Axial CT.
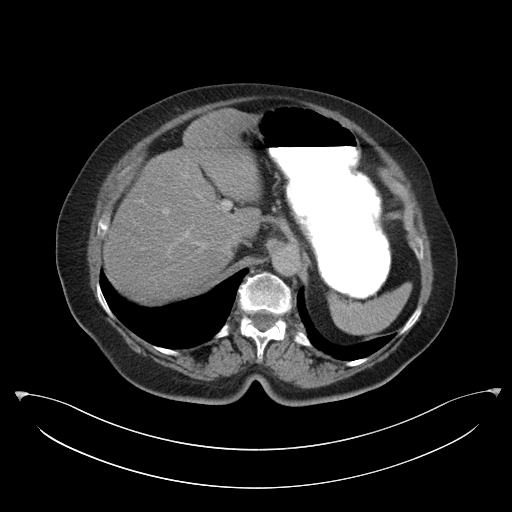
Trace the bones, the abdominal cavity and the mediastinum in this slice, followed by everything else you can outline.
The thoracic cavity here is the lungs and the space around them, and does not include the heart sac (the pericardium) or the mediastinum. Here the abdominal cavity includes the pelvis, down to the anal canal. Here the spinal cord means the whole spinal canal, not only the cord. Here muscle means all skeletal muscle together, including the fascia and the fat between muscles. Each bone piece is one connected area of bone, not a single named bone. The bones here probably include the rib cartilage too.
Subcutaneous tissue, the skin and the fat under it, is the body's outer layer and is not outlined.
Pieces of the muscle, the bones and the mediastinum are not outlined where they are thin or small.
The bones appear in 10 outlined pieces: piece 1: (262, 271) (271, 272) (283, 280) (291, 290) (293, 303) (291, 309) (283, 315) (286, 322) (286, 333) (284, 339) (271, 339) (264, 348) (263, 360) (258, 362) (255, 341) (251, 337) (244, 336) (239, 332) (239, 323) (243, 311) (236, 298) (238, 288) (244, 280) (244, 277), around a hole outlined by (260, 310) (264, 310) (267, 312) (269, 312) (270, 313) (272, 313) (277, 316) (277, 317) (276, 318) (274, 323) (270, 327) (269, 327) (267, 329) (266, 329) (263, 331) (258, 329) (252, 323) (252, 319) (251, 318) (251, 315) (253, 313) (254, 313) (255, 312) (257, 312); piece 2: (393, 179) (398, 181) (401, 184) (402, 184) (407, 192) (408, 199) (412, 209) (412, 220) (413, 221) (413, 226) (412, 227) (412, 229) (410, 231) (408, 231) (405, 228) (405, 226) (404, 225) (404, 205) (399, 194) (397, 192) (396, 189) (394, 188) (392, 184) (392, 180); piece 3: (419, 305) (421, 305) (422, 306) (422, 311) (418, 319) (415, 322) (415, 323) (408, 330) (407, 330) (402, 334) (400, 335) (398, 335) (398, 333) (399, 331) (402, 328) (404, 324) (407, 321) (409, 317) (412, 314) (412, 313) (414, 311) (416, 307); piece 4: (98, 281) (100, 285) (101, 291) (104, 296) (104, 298) (109, 308) (111, 310) (113, 314) (117, 318) (117, 319) (114, 319) (110, 316) (109, 316) (106, 313) (106, 312) (103, 309) (103, 308) (99, 303) (98, 299) (97, 298) (97, 290) (96, 289) (96, 283); piece 5: (415, 236) (419, 236) (422, 239) (422, 242) (423, 243) (423, 258) (420, 261) (419, 261) (417, 259) (417, 258) (416, 257) (416, 255) (415, 254) (415, 253) (414, 252) (414, 251) (411, 246) (411, 244) (410, 243) (411, 242) (411, 241) (414, 238) (414, 237); piece 6: (105, 211) (106, 211) (106, 212) (107, 213) (107, 217) (108, 218) (109, 221) (108, 222) (108, 226) (107, 227) (107, 229) (106, 230) (103, 237) (102, 238) (101, 238) (97, 234) (97, 227) (98, 226) (98, 221) (99, 220) (99, 219) (102, 216) (103, 213); piece 7: (298, 330) (300, 330) (301, 331) (305, 331) (305, 333) (306, 334) (308, 339) (310, 341) (310, 342) (312, 344) (312, 345) (313, 346) (312, 347) (309, 347) (308, 346) (306, 346) (305, 345) (302, 345) (299, 343) (297, 343) (294, 340) (294, 335) (295, 334) (295, 333); piece 8: (226, 322) (228, 322) (228, 323) (230, 326) (230, 328) (229, 329) (229, 334) (228, 335) (226, 335) (225, 336) (223, 336) (222, 337) (220, 337) (219, 338) (215, 338) (214, 337) (215, 334) (216, 333) (217, 333) (219, 331) (219, 330) (224, 325) (224, 324); piece 9: (152, 345) (156, 345) (160, 347) (163, 347) (164, 348) (167, 348) (168, 349) (172, 349) (173, 350) (178, 350) (179, 352) (179, 354) (175, 356) (173, 355) (170, 355) (169, 354) (166, 354) (165, 353) (163, 353) (155, 349); piece 10: (364, 357) (368, 357) (368, 359) (366, 361) (365, 361) (364, 362) (363, 362) (362, 363) (361, 363) (358, 365) (355, 365) (354, 366) (347, 366) (345, 364) (345, 362) (346, 361) (350, 361) (351, 360) (356, 360) (357, 359) (359, 359) (360, 358) (363, 358). The abdominal cavity is outlined by (263, 100) (297, 104) (337, 120) (371, 146) (387, 168) (420, 273) (416, 306) (396, 333) (352, 345) (326, 339) (306, 310) (302, 255) (293, 247) (280, 247) (262, 263) (239, 269) (203, 294) (162, 306) (130, 303) (108, 281) (101, 268) (108, 208) (147, 147) (197, 115). The mediastinum is outlined by (284, 247) (293, 248) (294, 250) (298, 251) (301, 255) (301, 284) (302, 287) (301, 286) (297, 290) (295, 296) (295, 302) (293, 299) (291, 288) (283, 279) (275, 273) (267, 270) (262, 270) (253, 274) (248, 274) (249, 267) (262, 264) (271, 255) (274, 254) (280, 248). The spinal cord is outlined by (260, 310) (264, 310) (267, 312) (269, 312) (270, 313) (272, 313) (277, 316) (277, 317) (276, 318) (274, 323) (270, 327) (269, 327) (267, 329) (266, 329) (263, 331) (258, 329) (252, 323) (252, 319) (251, 318) (251, 315) (253, 313) (254, 313) (255, 312) (257, 312). The muscle appears in 2 outlined pieces: piece 1: (236, 300) (242, 311) (238, 332) (254, 341) (258, 363) (264, 360) (265, 348) (271, 340) (285, 339) (284, 315) (292, 309) (293, 300) (304, 328) (294, 333) (293, 340) (343, 360) (347, 367) (366, 362) (368, 356) (398, 331) (400, 336) (413, 327) (386, 358) (325, 386) (296, 387) (256, 364) (221, 381) (205, 381) (132, 350) (103, 317) (99, 304) (109, 317) (119, 320) (155, 350) (175, 357) (180, 354) (179, 350) (228, 336) (231, 326) (227, 320); piece 2: (269, 94) (291, 96) (339, 112) (365, 130) (400, 165) (410, 180) (421, 207) (430, 243) (433, 281) (432, 290) (423, 311) (423, 306) (417, 304) (421, 289) (419, 262) (424, 258) (424, 243) (419, 235) (415, 235) (410, 241) (409, 232) (414, 226) (413, 209) (404, 185) (393, 178) (391, 183) (389, 170) (383, 160) (373, 147) (353, 129) (325, 113) (297, 103) (278, 99) (241, 102) (197, 114) (158, 136) (146, 147) (142, 155) (128, 171) (128, 166) (121, 170) (119, 175) (122, 176) (125, 174) (113, 193) (107, 212) (105, 210) (97, 221) (96, 234) (101, 239) (99, 279) (95, 283) (98, 303) (89, 284) (89, 268) (86, 258) (87, 241) (97, 194) (102, 181) (112, 166) (142, 138) (165, 122) (191, 108) (239, 96). The torso is outlined by (231, 82) (303, 87) (351, 100) (399, 131) (427, 165) (455, 238) (454, 300) (445, 324) (429, 346) (375, 389) (294, 407) (272, 400) (255, 380) (241, 398) (229, 404) (169, 399) (125, 379) (68, 308) (55, 262) (56, 224) (68, 190) (88, 156) (136, 111) (185, 89). The thoracic cavity appears in 2 outlined pieces: piece 1: (244, 268) (247, 268) (248, 272) (243, 277) (243, 280) (237, 288) (235, 301) (223, 325) (213, 337) (207, 341) (193, 347) (181, 349) (173, 349) (152, 344) (129, 329) (118, 319) (110, 308) (99, 281) (101, 269) (117, 295) (126, 302) (141, 307) (155, 308) (203, 295); piece 2: (301, 287) (303, 289) (303, 301) (307, 315) (315, 329) (326, 340) (332, 344) (339, 346) (352, 346) (386, 336) (389, 334) (395, 334) (394, 336) (376, 351) (367, 356) (356, 359) (350, 360) (338, 359) (325, 353) (313, 345) (298, 315) (296, 308) (296, 296) (298, 290).